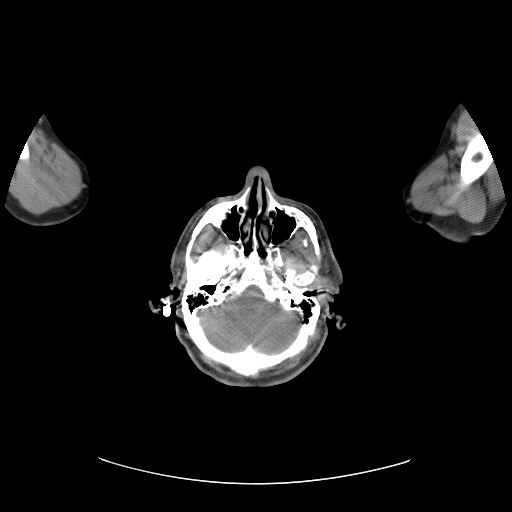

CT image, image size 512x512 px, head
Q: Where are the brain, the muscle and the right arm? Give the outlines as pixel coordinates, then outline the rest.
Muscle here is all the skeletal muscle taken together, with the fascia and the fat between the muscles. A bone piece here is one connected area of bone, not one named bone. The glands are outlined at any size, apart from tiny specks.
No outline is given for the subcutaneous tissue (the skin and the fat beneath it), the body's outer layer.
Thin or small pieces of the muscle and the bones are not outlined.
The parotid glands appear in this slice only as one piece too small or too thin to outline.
A: {"brain":[[[250,287],[257,288],[267,302],[271,304],[277,302],[284,311],[295,312],[299,320],[293,339],[279,351],[262,351],[252,343],[248,343],[242,349],[225,350],[214,344],[209,339],[204,329],[202,314],[206,310],[221,306],[228,297],[230,299],[239,297]]],"muscle":[[[461,111],[465,114],[467,111],[478,129],[468,138],[459,160],[459,181],[473,183],[494,162],[504,194],[497,204],[488,209],[484,218],[478,223],[468,222],[456,214],[444,216],[421,211],[409,201],[410,189],[416,177],[446,150],[452,123],[456,121]],[[35,126],[41,128],[48,138],[59,145],[77,163],[81,172],[82,180],[85,185],[81,193],[70,203],[59,207],[54,207],[38,215],[32,214],[22,208],[17,200],[13,197],[10,188],[19,159],[28,161],[31,157],[28,140],[32,133],[32,129]],[[308,215],[314,219],[316,223],[316,227],[321,235],[321,238],[325,246],[326,255],[329,263],[330,278],[329,277],[327,278],[327,281],[329,282],[323,284],[318,279],[320,266],[317,263],[311,263],[308,265],[305,265],[302,263],[296,263],[289,257],[284,259],[281,252],[281,244],[289,240],[301,228],[307,234],[308,238],[313,246],[314,254],[317,260],[319,262],[321,260],[322,255],[317,230],[313,221]],[[321,315],[321,325],[320,326],[319,337],[315,342],[311,350],[300,362],[292,368],[282,373],[259,378],[250,378],[249,377],[240,378],[225,375],[218,372],[205,363],[197,355],[194,351],[190,341],[184,335],[184,325],[190,340],[204,356],[216,363],[223,365],[240,375],[249,377],[250,376],[255,376],[261,370],[266,370],[272,368],[286,359],[291,358],[304,350],[308,344],[309,337],[312,336],[315,333],[317,323]],[[207,225],[211,225],[216,229],[219,233],[220,236],[219,238],[220,239],[223,238],[226,240],[226,241],[225,242],[222,242],[216,246],[211,246],[207,249],[202,250],[199,254],[193,257],[191,255],[191,253],[193,249],[193,246],[195,240]],[[204,211],[192,229],[190,234],[190,237],[185,246],[185,250],[184,251],[185,280],[184,281],[182,280],[180,281],[180,276],[179,275],[177,275],[177,266],[178,265],[177,262],[178,261],[178,256],[186,240],[186,237],[190,227],[195,220]],[[277,199],[282,202],[285,202],[286,203],[289,203],[290,204],[293,204],[294,205],[295,205],[296,206],[301,208],[301,209],[300,208],[299,208],[294,205],[292,205],[291,204],[287,204],[286,203],[281,203],[279,201],[278,201],[277,200]]],"right_arm":[[[43,113],[46,114],[54,131],[59,138],[84,161],[89,172],[91,189],[90,197],[87,205],[78,214],[60,224],[48,226],[33,226],[24,223],[12,216],[6,210],[5,203],[8,191],[12,183],[14,173],[16,171],[20,154],[32,133],[32,129]]],"head":[{"outer":[[253,164],[268,170],[279,195],[316,211],[343,273],[329,310],[344,326],[328,317],[313,361],[266,387],[227,385],[200,371],[176,336],[175,304],[168,304],[162,301],[160,303],[158,312],[148,304],[156,308],[161,299],[178,296],[169,287],[169,266],[182,230],[206,201],[239,191]],"holes":[[[279,211],[283,212],[283,213],[286,216],[289,218],[293,219],[294,225],[290,231],[288,236],[285,239],[279,243],[274,243],[272,240],[270,239],[270,237],[272,235],[272,233],[275,227],[274,225],[274,218],[276,217]],[[233,208],[235,209],[236,213],[239,216],[238,222],[237,223],[237,229],[238,230],[238,237],[237,239],[235,240],[231,239],[228,236],[227,233],[223,228],[223,224],[224,222],[225,222],[228,219],[228,216],[229,216],[232,213],[233,211],[232,210]],[[255,177],[257,177],[257,183],[256,184],[256,189],[255,190],[255,201],[256,202],[256,212],[255,213],[254,217],[251,217],[249,214],[249,212],[250,211],[250,194],[251,193],[251,190],[252,189],[252,186],[253,185],[253,182],[254,181],[253,180]],[[250,238],[251,238],[251,249],[250,250],[250,251],[248,253],[246,253],[245,252],[245,246],[246,245],[246,244],[247,243],[247,242],[249,240],[249,239]],[[260,242],[260,243],[262,245],[262,246],[263,247],[263,249],[264,250],[264,251],[265,252],[265,255],[263,257],[262,257],[259,254],[259,253],[258,252],[258,248],[259,247],[259,244],[260,243]]]}],"bones":[{"outer":[[260,175],[278,202],[303,211],[315,227],[319,261],[301,227],[280,244],[280,252],[284,260],[319,266],[321,314],[304,349],[246,376],[196,346],[178,295],[180,282],[186,280],[186,246],[202,215],[220,200],[237,198],[252,182],[248,214],[254,218]],"holes":[[[250,287],[257,288],[267,302],[271,304],[277,302],[284,311],[295,312],[299,320],[293,339],[279,351],[262,351],[252,343],[248,343],[242,349],[225,350],[214,344],[209,339],[204,329],[202,314],[206,310],[221,306],[228,297],[230,299],[239,297]],[[207,225],[211,225],[216,229],[219,233],[220,236],[219,238],[220,239],[223,238],[226,240],[226,241],[225,242],[222,242],[216,246],[211,246],[207,249],[202,250],[199,254],[193,257],[191,255],[191,253],[193,249],[193,246],[195,240]],[[279,211],[283,212],[283,213],[286,216],[289,218],[293,219],[294,225],[290,231],[288,236],[285,239],[279,243],[274,243],[272,240],[270,239],[270,237],[272,235],[272,233],[275,227],[274,225],[274,218],[276,217]],[[233,208],[235,209],[236,213],[239,216],[238,222],[237,223],[237,229],[238,230],[238,237],[237,239],[235,240],[231,239],[228,236],[227,233],[223,228],[223,224],[224,222],[225,222],[228,219],[228,216],[229,216],[232,213],[233,211],[232,210]],[[250,238],[251,238],[251,249],[250,250],[250,251],[248,253],[246,253],[245,252],[245,246],[246,245],[246,244],[247,243],[247,242],[249,240],[249,239]],[[260,242],[260,243],[262,245],[262,246],[263,247],[263,249],[264,250],[264,251],[265,252],[265,255],[263,257],[262,257],[259,254],[259,253],[258,252],[258,248],[259,247],[259,244],[260,243]]]},[[478,130],[479,130],[479,131],[483,136],[488,146],[488,148],[493,158],[493,162],[489,166],[487,170],[478,179],[475,180],[473,182],[463,182],[462,181],[460,181],[460,177],[459,176],[459,172],[460,171],[460,160],[467,146],[469,138]],[[27,142],[28,142],[28,145],[29,146],[29,150],[30,151],[30,157],[28,160],[24,160],[23,159],[21,159],[20,158],[19,158],[20,157],[20,154],[21,153],[21,152],[22,151],[22,150],[23,149],[23,148],[24,147],[25,144]]],"left_arm":[[[458,103],[461,103],[463,105],[488,146],[497,170],[506,203],[503,213],[494,228],[487,234],[476,236],[470,242],[465,244],[453,243],[440,236],[429,226],[411,219],[406,213],[402,201],[402,190],[406,180],[434,151],[438,144],[446,120],[451,111]]]}